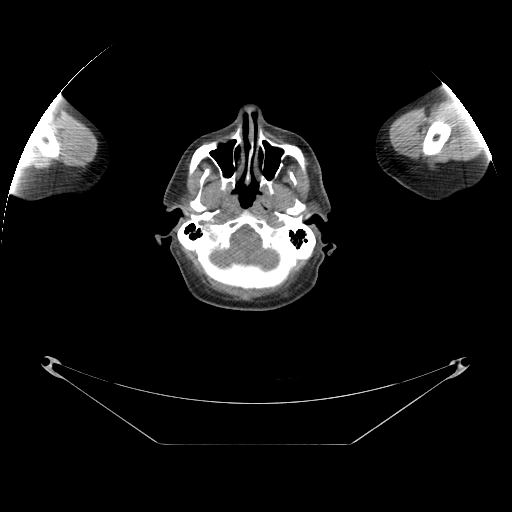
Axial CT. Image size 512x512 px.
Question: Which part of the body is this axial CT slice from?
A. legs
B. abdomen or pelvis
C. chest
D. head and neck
Answer: D. head and neck
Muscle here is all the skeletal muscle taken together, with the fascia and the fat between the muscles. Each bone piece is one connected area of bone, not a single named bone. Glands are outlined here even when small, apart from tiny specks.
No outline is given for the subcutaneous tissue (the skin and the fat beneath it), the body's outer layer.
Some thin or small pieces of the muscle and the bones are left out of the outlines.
The right arm is outlined by [[59,94],[65,97],[76,108],[84,114],[103,134],[109,147],[109,163],[100,181],[89,193],[85,195],[78,197],[69,195],[55,195],[35,201],[25,201],[19,199],[11,193],[10,191],[10,186],[13,180],[14,173],[18,161],[34,127],[50,103]]. The left arm is outlined by [[442,82],[455,94],[469,112],[484,138],[491,155],[490,159],[492,161],[488,166],[486,173],[477,184],[457,192],[446,199],[433,201],[424,199],[416,195],[385,173],[376,161],[374,143],[379,128],[391,114],[398,108],[413,100],[430,88],[441,84]]. The brain is outlined by [[244,225],[248,225],[259,236],[261,240],[261,247],[263,249],[270,249],[277,254],[277,262],[274,266],[264,269],[259,264],[241,262],[232,262],[229,265],[220,266],[212,261],[212,253],[215,251],[227,250],[231,245],[230,240],[232,235]]. The bones appear in 4 outlined pieces: piece 1: [[206,168],[200,202],[209,211],[219,209],[215,223],[247,209],[280,226],[275,210],[283,213],[296,197],[305,204],[303,220],[315,245],[311,256],[298,260],[281,283],[243,288],[217,281],[205,273],[196,253],[179,242],[177,230],[194,212],[189,202]] with a hole at [[244,225],[248,225],[259,236],[261,240],[261,247],[263,249],[270,249],[277,254],[277,262],[274,266],[264,269],[259,264],[241,262],[232,262],[229,265],[220,266],[212,261],[212,253],[215,251],[227,250],[231,245],[230,240],[232,235]]; piece 2: [[250,117],[255,133],[257,124],[263,134],[274,142],[294,144],[301,149],[305,161],[305,173],[297,160],[287,155],[273,180],[272,194],[269,193],[266,185],[259,190],[259,183],[252,167],[248,184],[245,183],[245,169],[234,188],[227,183],[224,190],[220,188],[219,171],[208,157],[202,159],[193,172],[188,174],[192,155],[200,145],[213,140],[225,141],[240,123],[242,123],[242,139],[246,156],[250,148],[248,139]]; inner edges: [[233,140],[234,141],[234,143],[233,144],[233,146],[231,150],[231,153],[232,154],[231,163],[233,167],[233,172],[230,176],[226,176],[224,175],[222,168],[211,153],[212,151],[216,150],[219,147],[220,144],[226,144],[228,142],[232,141]], then [[264,142],[266,142],[270,146],[274,148],[277,148],[281,150],[281,153],[279,155],[279,162],[278,163],[278,165],[275,171],[273,173],[272,177],[270,179],[268,179],[264,175],[263,173],[263,170],[264,169],[264,162],[266,158],[266,148],[264,145]]; piece 3: [[41,117],[49,122],[50,125],[53,128],[56,138],[60,144],[59,145],[60,147],[60,154],[58,156],[58,158],[56,159],[54,158],[48,158],[47,157],[44,157],[38,150],[38,148],[35,145],[32,138],[30,137],[30,134],[32,132],[34,127]]; piece 4: [[433,121],[436,121],[437,122],[445,122],[451,127],[451,132],[450,133],[447,140],[443,144],[440,151],[437,154],[434,154],[433,155],[424,155],[422,152],[422,143],[423,142],[423,140],[426,135],[426,133],[428,130],[428,128]]. The muscle appears in 6 outlined pieces: piece 1: [[302,149],[314,169],[313,180],[317,196],[308,202],[310,210],[305,214],[303,212],[307,206],[296,196],[293,198],[293,204],[283,212],[275,209],[273,214],[277,217],[277,221],[282,223],[280,225],[269,224],[247,208],[222,222],[215,222],[214,216],[220,209],[209,210],[201,202],[205,179],[210,173],[208,167],[199,178],[196,195],[188,202],[193,212],[188,212],[178,197],[183,167],[193,151],[187,174],[190,176],[201,161],[208,158],[218,171],[219,188],[224,191],[227,184],[230,184],[233,192],[238,195],[239,203],[246,208],[254,201],[263,186],[266,186],[270,195],[274,193],[274,180],[284,166],[283,161],[287,156],[294,158],[302,172],[306,173],[306,161]], around a hole outlined by [[289,171],[291,171],[293,173],[293,174],[294,175],[294,176],[295,177],[295,179],[296,180],[296,184],[295,185],[294,185],[293,184],[293,182],[291,180],[291,179],[290,178],[290,177],[289,176]]; piece 2: [[454,93],[469,112],[485,141],[477,152],[474,159],[463,161],[455,165],[431,170],[425,165],[421,165],[403,155],[398,154],[392,148],[389,142],[388,132],[390,125],[395,119],[407,111],[427,102],[431,102],[433,100],[438,99],[450,98],[453,96]] with a hole at [[433,121],[436,121],[437,122],[445,122],[451,127],[451,132],[450,133],[447,140],[443,144],[440,151],[437,154],[434,154],[433,155],[424,155],[422,152],[422,143],[423,142],[423,140],[426,135],[426,133],[428,130],[428,128]]; piece 3: [[53,100],[59,107],[70,115],[81,120],[93,132],[98,141],[97,153],[94,160],[84,168],[62,166],[59,168],[50,169],[49,171],[16,168],[29,137],[31,138],[37,150],[44,158],[55,160],[59,158],[61,154],[61,144],[50,122],[41,116]]; piece 4: [[176,237],[186,250],[195,253],[197,261],[208,277],[217,282],[243,289],[263,289],[281,284],[287,279],[298,261],[307,260],[312,256],[316,242],[317,257],[302,285],[286,297],[270,297],[253,301],[230,300],[209,294],[196,285],[182,255],[178,252]]; piece 5: [[262,128],[263,128],[265,130],[275,135],[281,135],[282,136],[285,136],[286,138],[287,138],[289,140],[291,140],[296,144],[294,143],[291,143],[290,142],[277,142],[276,141],[274,141],[272,139],[271,139],[269,137],[268,137],[264,134]]; piece 6: [[235,129],[235,130],[231,134],[230,134],[226,138],[225,140],[223,141],[220,141],[218,139],[213,139],[212,140],[205,141],[201,144],[200,144],[202,142],[208,139],[213,138],[216,136],[220,136],[221,135],[224,135],[225,134],[227,134],[233,131]]. The head is outlined by [[245,102],[258,104],[266,121],[299,134],[313,149],[331,210],[327,221],[314,214],[305,223],[336,245],[307,294],[268,311],[196,299],[170,252],[171,239],[159,245],[154,237],[166,234],[182,214],[179,208],[166,212],[162,200],[184,150],[232,122]]; inner edges: [[251,168],[252,168],[253,175],[258,183],[258,190],[254,196],[253,201],[249,205],[246,207],[244,207],[240,203],[239,195],[237,192],[234,192],[234,189],[236,186],[237,181],[240,179],[245,170],[244,183],[246,185],[248,185],[250,183],[251,180]], then [[233,140],[234,141],[234,143],[233,144],[233,146],[231,150],[231,153],[232,154],[231,163],[233,167],[233,172],[230,176],[226,176],[224,175],[222,168],[211,153],[212,151],[216,150],[219,147],[220,144],[226,144],[228,142],[232,141]], then [[264,142],[266,142],[270,146],[274,148],[277,148],[281,150],[281,153],[279,155],[279,162],[278,163],[278,165],[275,171],[273,173],[272,177],[270,179],[268,179],[264,175],[263,173],[263,170],[264,169],[264,162],[266,158],[266,148],[264,145]], then [[245,114],[246,114],[248,116],[248,127],[247,128],[247,139],[248,140],[248,143],[249,144],[249,148],[248,149],[248,151],[247,152],[247,154],[246,155],[246,153],[245,152],[245,144],[244,143],[244,140],[243,139],[243,117],[244,116],[244,115]], then [[253,113],[254,113],[255,114],[255,115],[256,116],[256,132],[255,132],[255,128],[254,127],[254,124],[253,123],[253,120],[252,119],[252,117],[251,116],[252,115],[252,114]]. The parotid glands are outlined by [[311,200],[317,200],[318,201],[319,201],[319,205],[320,206],[320,207],[319,208],[319,209],[310,209],[309,208],[309,202]].